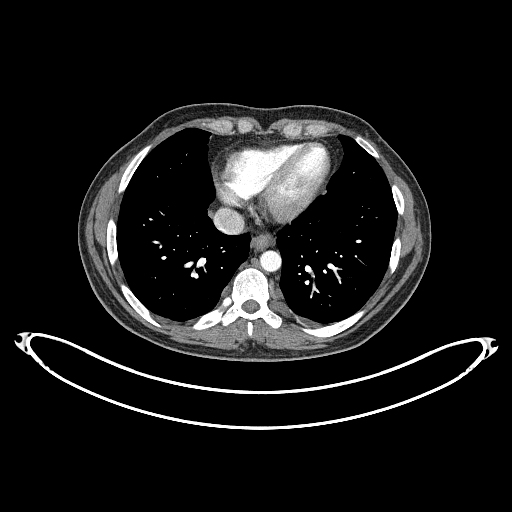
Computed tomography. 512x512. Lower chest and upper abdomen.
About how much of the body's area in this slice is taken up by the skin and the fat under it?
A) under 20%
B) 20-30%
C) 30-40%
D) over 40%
Answer: A) under 20%
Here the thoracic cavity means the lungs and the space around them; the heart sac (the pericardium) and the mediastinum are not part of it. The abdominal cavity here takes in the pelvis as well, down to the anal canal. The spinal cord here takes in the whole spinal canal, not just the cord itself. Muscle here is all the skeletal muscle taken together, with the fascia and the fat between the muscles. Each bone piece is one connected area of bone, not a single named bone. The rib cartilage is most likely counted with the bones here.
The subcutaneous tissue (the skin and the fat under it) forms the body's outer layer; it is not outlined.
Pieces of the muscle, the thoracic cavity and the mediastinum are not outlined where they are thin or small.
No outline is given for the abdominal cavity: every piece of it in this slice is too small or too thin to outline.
{"spinal_cord":[[[248,312],[253,312],[255,310],[256,310],[258,308],[258,305],[255,302],[254,302],[253,301],[248,301],[247,302],[246,302],[243,305],[243,308],[245,310],[246,310]]],"bones":[{"outer":[[250,336],[253,320],[261,318],[275,329],[282,323],[281,317],[267,305],[270,297],[268,280],[255,268],[247,268],[240,272],[233,283],[230,295],[190,326],[193,330],[202,330],[217,324],[227,326],[242,317],[248,321],[247,331]],"hole":[[248,312],[253,312],[255,310],[256,310],[258,308],[258,305],[255,302],[254,302],[253,301],[248,301],[247,302],[246,302],[243,305],[243,308],[245,310],[246,310]]},[[318,338],[330,337],[338,333],[340,333],[344,330],[349,328],[357,322],[365,314],[366,310],[365,309],[361,309],[353,315],[341,321],[335,322],[332,324],[330,324],[326,326],[322,326],[321,327],[317,327],[316,328],[302,328],[301,329],[304,332]],[[157,327],[161,327],[161,325],[159,323],[158,323],[151,316],[150,312],[132,293],[132,292],[129,289],[126,284],[124,283],[120,283],[119,284],[120,290],[123,296],[125,298],[127,302],[132,307],[132,308],[142,318],[143,318],[149,323]],[[118,193],[122,193],[125,190],[135,170],[137,168],[141,161],[145,157],[145,156],[151,149],[153,145],[152,144],[146,145],[143,148],[142,148],[132,158],[132,159],[129,162],[128,165],[126,167],[120,179],[120,182],[119,183],[118,189],[117,190]],[[112,266],[114,265],[118,257],[117,256],[117,246],[116,245],[116,240],[115,239],[115,235],[116,234],[116,225],[115,224],[115,221],[114,219],[110,218],[107,223],[107,228],[106,229],[106,248],[107,249],[107,255],[108,256],[108,259],[110,264]],[[391,274],[396,270],[396,268],[398,265],[398,263],[400,259],[400,251],[401,250],[402,243],[400,238],[398,236],[396,236],[395,237],[395,239],[393,242],[392,250],[390,255],[390,259],[388,264],[388,269]],[[399,216],[400,215],[402,216],[404,214],[404,198],[403,197],[402,192],[400,190],[398,186],[396,184],[392,184],[391,185],[391,190],[392,191],[392,194],[393,195],[394,202],[395,203],[395,205],[397,209],[397,212]],[[376,159],[378,159],[379,158],[379,154],[376,151],[376,150],[371,145],[371,144],[367,140],[366,140],[360,135],[357,135],[356,136],[355,136],[353,138],[354,139],[354,140],[362,148],[363,148],[369,154],[370,154]],[[218,131],[225,131],[226,130],[230,130],[230,127],[231,126],[230,121],[229,121],[226,119],[218,119],[217,120],[215,120],[212,122],[207,123],[206,124],[206,126],[208,126],[209,127],[210,127],[213,129],[215,129]],[[291,136],[292,136],[293,135],[295,135],[297,133],[298,133],[301,130],[301,126],[300,125],[299,125],[298,124],[296,124],[295,123],[289,123],[285,127],[285,128],[284,129],[285,130],[285,132],[288,135],[290,135]],[[315,135],[316,134],[319,134],[320,133],[323,133],[324,132],[325,132],[327,130],[327,128],[326,128],[325,127],[324,127],[323,126],[307,126],[306,127],[306,128],[307,129],[307,131],[308,132],[308,133],[310,133],[311,134],[314,134]],[[242,132],[245,132],[246,131],[247,131],[248,130],[249,130],[250,129],[251,129],[252,128],[252,124],[251,123],[250,123],[248,121],[242,121],[241,120],[238,120],[238,122],[237,123],[237,127],[238,128],[238,129],[239,130],[239,131],[241,131]]],"mediastinum":[[[278,281],[280,275],[281,257],[277,248],[277,233],[266,233],[259,223],[225,198],[213,181],[216,195],[207,210],[213,224],[220,231],[229,235],[237,235],[244,232],[251,233],[250,248],[246,260],[236,269],[234,276],[247,267],[255,267],[267,276]],[[211,173],[212,164],[217,153],[232,143],[234,143],[239,140],[257,140],[258,141],[265,141],[266,140],[287,139],[281,135],[272,135],[271,134],[233,135],[232,136],[211,134],[210,139],[209,140],[209,143],[208,144],[208,158],[207,159],[209,163]],[[334,175],[334,174],[338,169],[341,163],[342,158],[343,157],[343,149],[342,148],[342,146],[339,140],[337,138],[337,137],[327,137],[326,138],[317,138],[319,138],[327,142],[335,154],[335,156],[336,157],[336,168],[334,172]]],"thoracic_cavity":[[[179,321],[213,309],[220,296],[220,290],[245,260],[250,241],[249,233],[237,236],[223,234],[208,217],[206,210],[215,195],[206,159],[210,133],[193,127],[175,133],[153,148],[142,161],[125,191],[116,235],[118,256],[133,293],[151,313],[155,312]],[[322,322],[338,321],[349,316],[371,296],[387,269],[396,225],[397,213],[390,185],[383,170],[374,158],[352,138],[345,135],[337,136],[343,146],[344,157],[330,182],[327,193],[277,234],[278,248],[282,257],[279,284],[289,306],[294,312],[306,318]]],"muscle":[{"outer":[[226,350],[234,349],[249,339],[275,349],[313,350],[329,346],[370,320],[418,265],[422,229],[412,193],[364,134],[319,119],[282,118],[263,128],[255,118],[243,115],[183,122],[162,130],[146,144],[152,143],[154,147],[189,126],[217,134],[271,133],[288,139],[360,134],[372,144],[380,154],[377,160],[390,184],[396,183],[405,198],[405,214],[402,217],[397,215],[395,232],[403,243],[401,259],[397,270],[391,275],[386,271],[375,292],[358,310],[365,308],[366,314],[352,327],[330,338],[318,339],[304,333],[302,327],[334,322],[317,322],[294,313],[278,282],[268,277],[271,296],[268,305],[283,319],[276,330],[258,319],[253,321],[250,337],[246,331],[247,321],[239,318],[227,327],[217,325],[193,331],[189,326],[198,317],[179,322],[155,313],[152,316],[162,327],[149,324],[122,296],[118,284],[124,282],[128,285],[119,258],[112,267],[105,248],[106,223],[112,217],[116,224],[124,193],[116,191],[119,179],[141,148],[100,188],[87,217],[85,236],[94,265],[113,295],[131,316],[166,338]],"holes":[[[218,131],[225,131],[226,130],[230,130],[230,127],[231,126],[230,121],[229,121],[226,119],[218,119],[217,120],[215,120],[212,122],[207,123],[206,124],[206,126],[208,126],[209,127],[210,127],[213,129],[215,129]],[[291,136],[292,136],[293,135],[295,135],[297,133],[298,133],[301,130],[301,126],[300,125],[299,125],[298,124],[296,124],[295,123],[289,123],[285,127],[285,128],[284,129],[285,130],[285,132],[288,135],[290,135]],[[315,135],[316,134],[319,134],[320,133],[323,133],[324,132],[325,132],[327,130],[327,128],[326,128],[325,127],[324,127],[323,126],[307,126],[306,127],[306,128],[307,129],[307,131],[308,132],[308,133],[310,133],[311,134],[314,134]],[[242,132],[245,132],[246,131],[247,131],[248,130],[249,130],[250,129],[251,129],[252,128],[252,124],[251,123],[250,123],[248,121],[242,121],[241,120],[238,120],[238,122],[237,123],[237,127],[238,128],[238,129],[239,130],[239,131],[241,131]]]},[[214,308],[218,304],[220,303],[220,301],[223,297],[227,295],[229,295],[230,293],[230,291],[231,290],[232,283],[234,279],[236,277],[233,277],[229,281],[229,282],[221,290],[221,296],[219,298]]],"torso":[[[230,361],[289,361],[355,348],[383,328],[417,287],[431,250],[427,202],[405,162],[364,119],[343,110],[311,104],[259,108],[207,102],[179,106],[158,116],[120,147],[92,180],[79,211],[77,243],[89,284],[106,311],[125,329],[158,346],[188,355]]],"pericardium":[[[268,233],[275,233],[284,226],[291,223],[313,201],[326,193],[335,168],[335,157],[327,143],[319,139],[313,138],[296,138],[291,140],[278,140],[265,142],[239,141],[228,146],[218,153],[213,164],[212,174],[222,194],[259,222],[266,232]]]}